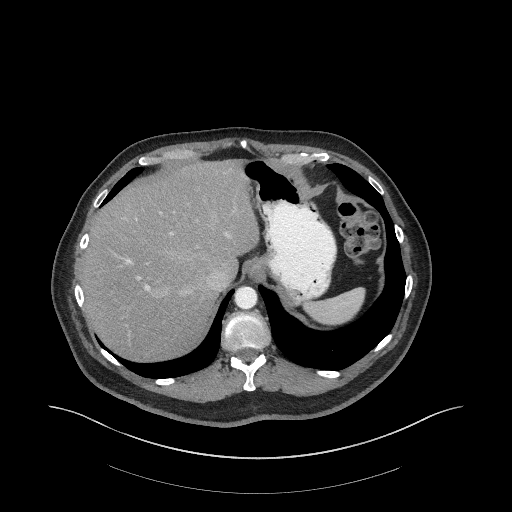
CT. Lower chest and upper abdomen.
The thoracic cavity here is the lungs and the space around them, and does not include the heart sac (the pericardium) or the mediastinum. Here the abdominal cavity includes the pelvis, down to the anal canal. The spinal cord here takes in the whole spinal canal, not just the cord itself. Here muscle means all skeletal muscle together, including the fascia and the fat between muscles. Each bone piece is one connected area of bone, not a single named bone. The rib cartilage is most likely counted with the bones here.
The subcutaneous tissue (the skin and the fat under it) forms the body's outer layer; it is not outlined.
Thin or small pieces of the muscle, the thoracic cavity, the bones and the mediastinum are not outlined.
Outlined structures:
muscle 1: 200,403 245,391 242,388 245,375 229,365 230,353 220,348 209,366 177,377 176,381 168,386 157,385 154,379 140,376 122,365 116,366 109,362 99,352 99,345 85,311 83,307 78,307 74,298 74,285 81,285 81,267 85,251 79,248 78,242 85,232 89,234 91,231 97,209 92,207 95,196 106,187 110,190 128,170 138,166 137,159 140,156 160,155 166,150 176,148 191,148 197,155 202,155 223,148 228,142 238,147 241,137 167,145 137,155 126,162 103,183 92,198 74,245 69,271 67,303 77,333 87,352 108,369 142,388
muscle 2: 297,396 316,395 342,386 368,369 397,344 405,331 415,296 417,285 416,263 410,247 406,226 399,216 387,188 367,167 346,155 319,147 263,143 245,137 251,151 264,156 279,157 284,153 290,152 325,151 331,156 328,162 343,163 364,178 369,174 374,177 385,191 382,196 393,222 397,223 404,232 404,242 400,245 402,261 406,274 410,273 413,276 411,293 405,301 403,300 397,319 390,332 393,334 392,339 378,352 373,353 370,351 355,363 342,369 338,378 318,376 315,373 315,369 291,362 279,352 272,342 265,349 267,361 254,375 256,389
bones 1: 246,391 255,390 253,382 254,372 265,363 266,357 264,349 272,341 269,326 261,314 257,311 233,312 222,322 224,323 221,333 221,347 231,353 230,365 234,368 242,370 245,373 246,380 243,388 with a hole at 244,362 250,362 251,361 252,361 254,359 254,358 258,354 258,352 257,351 257,350 256,350 255,349 253,349 252,348 243,348 240,350 238,350 236,352 236,353 235,354 237,357 238,357 239,358 240,358
bones 2: 142,166 145,166 146,165 151,165 152,164 159,163 164,160 167,160 168,159 179,159 180,158 187,158 188,157 193,157 196,155 196,153 191,149 176,149 175,150 166,151 160,156 142,156 138,159 138,163
bones 3: 295,164 307,164 308,163 311,163 314,161 325,163 327,162 327,161 330,158 330,156 325,152 314,152 313,153 301,152 300,153 290,153 289,154 284,154 280,157 280,160 284,161 286,163 294,163
bones 4: 81,308 82,308 82,307 83,306 83,292 82,291 82,289 81,288 81,286 79,284 76,284 74,287 74,294 75,295 75,298 76,299 76,301 77,302 77,303 78,304 78,305 79,306 79,307 80,307
bones 5: 95,208 98,207 101,204 101,203 103,201 103,200 105,198 105,197 109,192 109,190 108,189 107,189 106,188 105,189 102,190 96,196 96,197 94,199 94,200 93,201 93,207 94,207
bones 6: 404,300 405,300 408,297 408,296 409,295 409,294 410,293 410,291 411,290 411,288 412,287 412,276 410,274 408,274 406,276 406,280 405,281 405,287 404,288 404,297 403,298 403,299
bones 7: 324,377 338,377 340,375 340,372 339,371 336,371 335,370 316,370 316,373 318,375 320,375 321,376 323,376
bones 8: 373,352 375,352 376,351 378,351 380,349 381,349 387,343 388,343 388,342 391,339 391,338 392,337 392,334 391,333 389,333 387,335 386,335 375,346 375,347 374,348 373,348 371,350 371,351 372,351
bones 9: 381,195 383,195 383,194 384,193 384,191 383,190 383,189 382,188 382,187 381,186 381,185 374,178 373,178 370,175 369,175 367,177 367,178 366,179 368,181 368,182
bones 10: 116,365 121,365 121,364 108,351 107,351 105,349 104,349 102,347 101,347 100,346 99,347 99,350 100,351 100,352 109,361 110,361 112,363 113,363 114,364 115,364
bones 11: 160,385 168,385 169,384 171,384 172,383 173,383 175,381 175,378 158,378 157,379 155,379 155,380 154,381 155,382 155,383 156,383 157,384 159,384
bones 12: 400,244 401,243 402,243 403,242 403,232 401,230 401,228 397,224 394,224 394,229 395,230 395,234 396,235 396,237 397,238 397,239 398,240 398,241 399,242 399,243
bones 13: 82,249 85,249 85,248 87,246 87,244 88,243 88,241 89,240 89,235 88,234 88,233 85,233 82,236 82,237 81,238 81,239 80,240 80,241 79,242 79,246 80,247 80,248 81,248
bones 14: 247,150 250,150 250,148 248,146 248,145 247,144 247,142 246,141 246,140 244,138 243,138 242,139 241,139 241,140 239,142 239,144 240,145 240,146 242,148 243,148 244,149 246,149
abdominal cavity: 142,363 181,357 197,347 221,300 246,277 274,291 282,307 307,327 325,331 354,321 384,287 383,218 339,180 312,186 304,176 303,165 286,164 240,147 144,167 97,208 82,267 84,308 95,336 117,355
spinal cord: 244,362 250,362 251,361 252,361 254,359 254,358 258,354 258,352 257,351 257,350 256,350 255,349 253,349 252,348 243,348 240,350 238,350 236,352 236,353 235,354 237,357 238,357 239,358 240,358
torso: 221,428 266,419 309,419 338,411 383,381 402,360 417,332 432,281 426,237 388,174 366,151 341,135 321,130 227,126 170,132 138,140 121,150 87,186 60,238 52,265 51,298 83,374 103,391 145,411
mediastinum 1: 268,323 268,318 267,317 265,305 263,299 258,290 259,284 249,278 246,278 240,284 233,288 234,292 231,296 227,305 223,317 223,321 227,316 233,311 253,311 254,310 257,310 262,314
mediastinum 2: 312,185 316,185 320,183 324,183 331,179 338,179 337,177 334,175 333,172 327,167 327,163 325,164 323,164 322,163 314,163 313,164 308,164 307,165 304,165 303,166 303,171 305,174 305,176
thoracic cavity 1: 336,370 361,358 390,331 402,301 406,275 393,223 382,197 351,168 328,163 344,187 371,203 384,218 387,236 384,290 357,320 325,332 307,328 288,314 271,290 261,285 259,290 273,342 280,352 303,366
thoracic cavity 2: 152,378 176,377 201,369 209,365 213,361 220,347 222,317 228,300 233,292 232,290 230,290 222,300 212,325 202,343 189,354 181,358 150,364 131,362 114,354 96,337 98,343 108,350 123,365 140,375
thoracic cavity 3: 102,204 105,203 106,201 107,201 111,197 112,197 122,187 123,187 123,186 125,185 126,183 127,183 136,175 140,173 143,170 143,167 139,166 138,167 133,168 128,171 112,188 112,189 110,191